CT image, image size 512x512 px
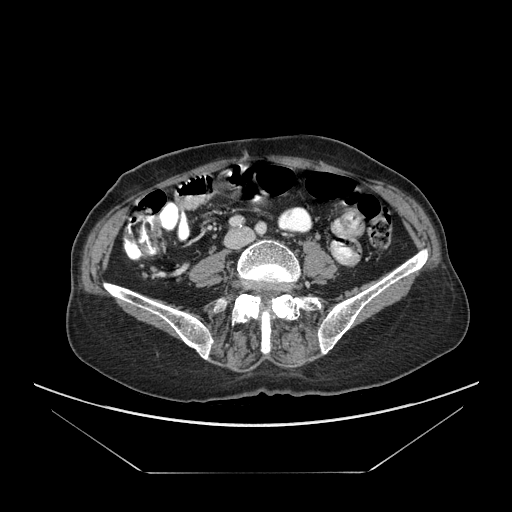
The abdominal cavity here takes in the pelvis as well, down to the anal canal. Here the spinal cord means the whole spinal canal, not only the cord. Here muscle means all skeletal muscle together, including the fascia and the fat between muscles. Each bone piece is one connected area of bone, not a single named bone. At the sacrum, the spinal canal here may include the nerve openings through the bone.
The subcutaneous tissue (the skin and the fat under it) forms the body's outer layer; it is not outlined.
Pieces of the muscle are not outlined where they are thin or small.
{"torso":[[[294,133],[322,135],[352,145],[401,173],[423,192],[442,223],[451,263],[468,298],[469,326],[457,347],[379,387],[334,396],[259,393],[205,403],[180,403],[144,395],[82,362],[70,348],[65,329],[71,246],[90,209],[120,174],[148,159],[192,145]]],"muscle":[[[247,155],[288,155],[315,160],[388,183],[401,189],[412,197],[428,216],[440,242],[441,261],[438,266],[432,270],[425,271],[421,274],[413,283],[408,293],[400,300],[385,307],[372,317],[350,329],[360,312],[368,303],[391,285],[418,271],[426,263],[429,257],[429,249],[427,247],[422,247],[414,253],[414,242],[395,210],[378,193],[356,179],[342,173],[296,167],[266,159],[242,160],[210,173],[181,180],[148,191],[136,200],[118,232],[106,264],[105,274],[111,281],[104,279],[101,285],[112,297],[147,311],[163,320],[170,326],[182,342],[149,324],[132,318],[108,299],[86,292],[80,283],[80,265],[84,245],[95,224],[114,206],[137,191],[168,176],[214,160]],{"outer":[[385,273],[368,287],[336,302],[328,311],[316,331],[319,354],[323,356],[319,359],[284,368],[264,361],[240,373],[205,362],[191,350],[204,361],[211,355],[214,338],[200,319],[142,294],[199,307],[220,296],[227,283],[237,278],[239,289],[232,301],[230,323],[232,326],[243,324],[251,318],[259,321],[259,350],[266,355],[272,349],[272,320],[295,321],[301,310],[309,312],[322,308],[317,296],[328,298],[344,293]],"hole":[[219,298],[225,298],[227,300],[227,301],[228,302],[228,305],[226,307],[226,308],[224,310],[222,310],[221,311],[218,311],[217,312],[214,312],[213,311],[213,305],[215,303],[215,302],[216,301],[216,300],[217,300]]},[[308,240],[317,243],[330,256],[336,266],[336,271],[334,275],[329,280],[324,282],[315,281],[312,280],[309,277],[306,277],[303,280],[302,287],[307,292],[312,294],[294,295],[292,293],[294,284],[299,281],[302,274],[301,268],[303,262],[303,243]],[[220,251],[223,251],[225,252],[225,273],[224,274],[224,278],[223,280],[220,283],[213,285],[212,286],[204,286],[203,287],[198,287],[196,286],[195,284],[190,280],[188,276],[188,273],[189,271],[200,260],[203,258],[205,258],[216,252],[219,252]]],"bones":[{"outer":[[262,239],[273,239],[284,244],[299,261],[301,274],[291,293],[294,296],[316,296],[322,306],[309,311],[301,309],[295,320],[272,319],[271,349],[266,354],[260,350],[259,320],[251,317],[243,323],[231,323],[233,301],[240,289],[237,260],[244,249]],"hole":[[260,289],[264,289],[265,290],[273,290],[279,293],[279,294],[278,294],[276,296],[274,296],[272,297],[270,299],[269,301],[270,302],[270,305],[268,307],[264,307],[262,305],[262,303],[261,302],[261,297],[258,294],[254,294],[254,291],[256,291]]},[[422,248],[427,248],[428,249],[428,257],[425,263],[418,270],[391,284],[368,302],[359,312],[351,327],[340,338],[334,347],[326,355],[321,355],[318,344],[317,331],[320,324],[333,306],[336,303],[349,298],[368,288]],[[104,280],[128,288],[165,305],[168,305],[173,308],[190,313],[193,316],[200,320],[209,330],[213,338],[213,343],[208,359],[207,360],[202,359],[194,349],[189,347],[182,341],[176,332],[168,323],[157,315],[112,296],[103,287],[102,282]],[[219,298],[225,298],[227,300],[227,301],[228,302],[228,305],[226,307],[226,308],[224,310],[222,310],[221,311],[218,311],[217,312],[214,312],[213,311],[213,305],[215,303],[215,302],[216,301],[216,300],[217,300]]],"abdominal_cavity":[{"outer":[[248,160],[360,182],[394,210],[413,242],[413,254],[381,276],[328,297],[303,287],[306,278],[324,283],[337,271],[331,256],[310,239],[302,243],[301,267],[293,251],[276,239],[249,244],[236,260],[236,278],[199,306],[110,280],[110,255],[140,197]],"hole":[[220,251],[223,251],[225,252],[225,273],[224,274],[224,278],[223,280],[220,283],[213,285],[212,286],[204,286],[203,287],[198,287],[196,286],[195,284],[190,280],[188,276],[188,273],[189,271],[200,260],[203,258],[205,258],[216,252],[219,252]]}],"spinal_cord":[[[260,289],[264,289],[265,290],[273,290],[279,293],[279,294],[278,294],[276,296],[274,296],[272,297],[270,299],[269,301],[270,302],[270,305],[268,307],[264,307],[262,305],[262,303],[261,302],[261,297],[258,294],[254,294],[254,291],[256,291]]]}